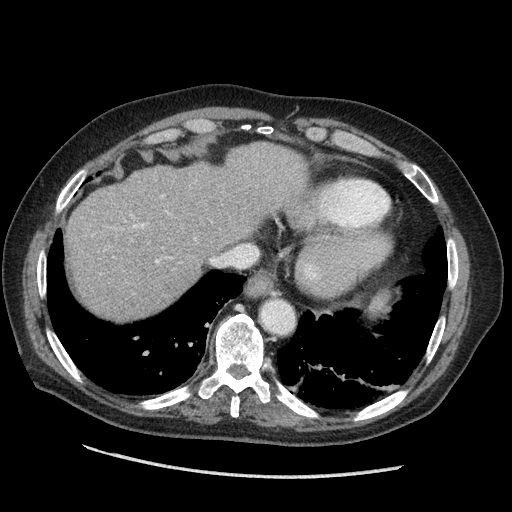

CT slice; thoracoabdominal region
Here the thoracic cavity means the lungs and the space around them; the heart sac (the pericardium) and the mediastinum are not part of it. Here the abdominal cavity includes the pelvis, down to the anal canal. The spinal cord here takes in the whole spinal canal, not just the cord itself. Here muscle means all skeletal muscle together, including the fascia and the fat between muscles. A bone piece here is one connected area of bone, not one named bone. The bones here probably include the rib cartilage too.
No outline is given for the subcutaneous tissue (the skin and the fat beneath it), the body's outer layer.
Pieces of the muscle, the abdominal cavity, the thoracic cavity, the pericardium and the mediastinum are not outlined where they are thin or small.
{"bones":[{"outer":[[234,314],[252,318],[276,376],[318,412],[318,419],[281,402],[265,371],[270,400],[263,403],[251,387],[245,388],[236,418],[230,414],[233,391],[223,384],[205,399],[197,394],[198,380],[182,401],[151,410],[138,405],[188,384],[214,354],[216,330]],"holes":[[[233,364],[237,364],[238,365],[243,365],[246,368],[246,369],[247,370],[247,371],[248,372],[248,374],[247,374],[246,375],[245,375],[244,376],[243,376],[241,378],[240,378],[239,379],[237,379],[236,378],[235,378],[228,371],[228,369]],[[213,364],[214,364],[214,368],[213,369],[213,370],[209,374],[208,374],[207,375],[204,375],[205,374],[205,373],[206,372],[206,371]]]},[[311,126],[324,127],[327,128],[330,131],[335,128],[339,128],[348,131],[367,140],[373,144],[382,153],[382,155],[380,157],[368,156],[353,151],[349,151],[334,145],[328,145],[325,141],[312,141],[306,138],[304,135],[304,130],[306,128]],[[193,118],[204,118],[219,124],[217,125],[218,129],[216,133],[197,133],[183,128],[183,135],[181,135],[173,141],[167,141],[151,145],[143,145],[140,143],[140,141],[144,137],[153,132],[168,128],[181,128],[182,124],[186,120]],[[399,160],[404,160],[408,162],[413,162],[417,164],[424,170],[431,180],[432,184],[438,196],[438,199],[439,201],[437,204],[432,204],[430,203],[430,202],[428,201],[428,200],[420,192],[420,191],[405,176],[404,176],[400,170],[396,167],[396,164]],[[405,388],[410,388],[410,390],[406,396],[397,405],[394,406],[387,411],[366,419],[362,419],[357,421],[353,421],[351,419],[354,416],[354,413],[356,411],[376,401],[378,401],[382,399],[384,397],[393,393],[399,389],[404,389]],[[45,326],[48,326],[54,331],[66,352],[69,355],[69,356],[71,358],[75,365],[82,372],[83,374],[83,383],[81,383],[77,381],[62,365],[62,364],[56,356],[55,353],[53,351],[48,341],[48,339],[47,338],[47,336],[45,332]],[[84,166],[86,166],[88,169],[88,175],[87,177],[82,183],[80,187],[77,190],[77,191],[70,200],[69,203],[66,206],[66,207],[65,207],[61,211],[61,212],[56,214],[55,213],[56,200],[61,190],[67,184],[67,183],[77,172],[77,171]],[[450,236],[454,239],[455,241],[455,244],[456,245],[456,250],[457,251],[457,256],[458,257],[458,273],[457,274],[457,279],[456,280],[456,282],[453,288],[451,290],[448,290],[446,288],[446,286],[447,285],[447,248],[446,247],[446,238]],[[441,314],[444,314],[445,315],[445,327],[443,331],[443,334],[440,340],[439,345],[433,357],[431,359],[430,362],[427,365],[425,365],[425,360],[423,358],[423,356],[425,353],[428,342],[430,339],[430,337],[433,331],[436,321],[438,317]],[[42,248],[43,248],[45,250],[45,252],[46,253],[46,298],[45,299],[42,299],[40,297],[40,295],[39,294],[39,290],[38,289],[38,285],[37,284],[37,260],[38,259],[38,255],[39,254],[39,252],[40,251],[40,250]],[[245,123],[249,123],[251,124],[254,128],[262,125],[271,125],[274,128],[274,131],[272,133],[270,133],[269,134],[264,134],[263,133],[258,133],[252,129],[250,130],[244,130],[243,129],[241,129],[240,128],[240,126],[242,124],[244,124]]],"mediastinum":[[[274,217],[279,227],[275,279],[282,292],[306,310],[299,318],[292,337],[276,351],[275,357],[266,352],[264,337],[247,313],[234,313],[217,327],[211,354],[214,320],[222,306],[242,291],[246,279],[241,274],[222,270],[240,272],[258,261],[262,242]],[[312,142],[322,142],[328,146],[334,146],[349,152],[380,158],[392,164],[431,204],[440,224],[425,242],[421,250],[421,261],[411,274],[401,280],[396,280],[402,274],[412,256],[417,237],[416,215],[407,195],[381,169],[357,158],[324,151]]],"spinal_cord":[[[233,364],[237,364],[238,365],[243,365],[246,368],[246,369],[247,370],[247,371],[248,372],[248,374],[247,374],[246,375],[245,375],[244,376],[243,376],[241,378],[240,378],[239,379],[237,379],[236,378],[235,378],[228,371],[228,369]]],"thoracic_cavity":[[[439,225],[446,285],[424,353],[405,382],[354,409],[310,405],[285,386],[271,357],[291,340],[302,315],[310,311],[317,318],[353,309],[357,315],[351,322],[361,329],[357,334],[380,337],[374,327],[390,319],[402,297],[400,281],[424,271],[422,250]],[[57,228],[61,230],[62,265],[72,297],[97,319],[117,326],[129,325],[157,316],[177,302],[211,270],[244,277],[241,291],[221,306],[213,320],[211,355],[185,384],[145,398],[143,395],[110,391],[86,376],[76,365],[53,329],[48,309],[47,254]]],"torso":[[[208,83],[238,84],[286,95],[344,98],[373,105],[423,130],[463,172],[499,243],[503,298],[496,321],[447,395],[429,414],[357,442],[284,446],[136,432],[109,424],[35,386],[18,351],[2,287],[3,244],[19,202],[53,153],[94,117],[135,99]]],"abdominal_cavity":[[[239,126],[264,135],[303,136],[327,152],[311,156],[307,186],[291,207],[276,212],[257,261],[240,271],[211,269],[169,307],[129,324],[117,325],[84,309],[68,287],[58,227],[78,190],[93,176],[111,172],[128,151],[174,141],[186,145],[191,135]],[[393,279],[399,282],[401,297],[393,305],[389,319],[378,323],[373,327],[380,336],[375,337],[367,332],[359,335],[358,334],[362,329],[361,327],[352,322],[352,320],[358,315],[358,312],[353,308],[347,308],[352,306],[353,302],[364,298],[380,286]]],"pericardium":[[[316,153],[347,156],[381,170],[403,191],[415,215],[416,237],[411,256],[401,274],[339,311],[311,311],[299,306],[283,292],[276,279],[278,265],[277,237],[280,228],[276,214],[277,212],[286,212],[291,208],[301,192],[308,186],[312,175],[310,162]]],"muscle":[[[206,106],[248,107],[265,111],[276,118],[334,118],[373,135],[413,161],[399,159],[394,165],[381,158],[383,153],[373,143],[339,127],[330,130],[324,126],[311,125],[303,130],[303,135],[298,135],[283,131],[274,132],[275,128],[271,124],[254,127],[249,122],[242,123],[236,128],[218,128],[220,124],[211,119],[193,117],[186,119],[181,127],[168,127],[149,133],[139,141],[142,145],[137,144],[115,163],[111,162],[94,175],[89,175],[86,165],[82,166],[60,190],[55,200],[54,213],[57,215],[65,209],[47,253],[42,247],[36,260],[38,294],[42,300],[47,301],[52,326],[45,325],[44,332],[52,351],[77,382],[83,384],[84,375],[110,392],[143,396],[145,397],[137,403],[143,410],[157,410],[188,399],[193,394],[192,384],[197,381],[196,394],[205,400],[221,386],[227,386],[233,393],[230,397],[229,414],[234,418],[213,424],[195,424],[166,417],[137,416],[110,407],[78,389],[43,362],[34,352],[25,325],[22,269],[29,244],[45,211],[67,179],[78,168],[154,121],[181,111]],[[430,177],[460,225],[472,272],[471,304],[467,323],[454,358],[444,373],[407,405],[362,426],[323,431],[283,432],[268,429],[250,421],[239,420],[237,418],[240,415],[240,393],[245,389],[251,388],[263,404],[271,400],[272,384],[264,378],[262,373],[264,372],[269,374],[275,388],[275,397],[296,414],[310,419],[318,420],[321,417],[319,412],[311,406],[314,406],[334,410],[359,409],[353,413],[350,419],[353,422],[366,420],[387,412],[407,396],[411,388],[400,387],[422,358],[425,366],[431,362],[440,345],[446,327],[446,315],[440,314],[443,294],[445,289],[451,291],[454,288],[459,273],[456,241],[450,235],[445,238],[443,227],[432,205],[437,205],[440,200]]]}